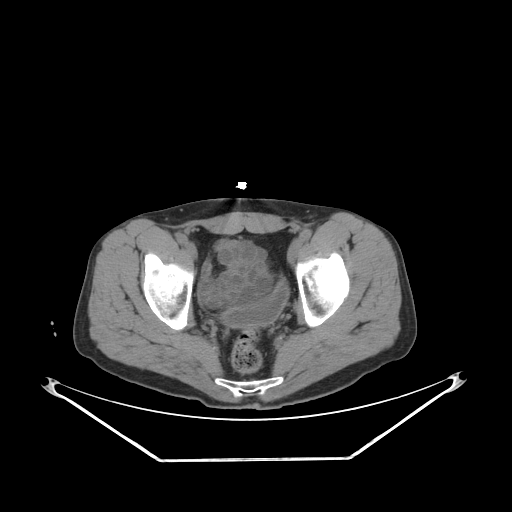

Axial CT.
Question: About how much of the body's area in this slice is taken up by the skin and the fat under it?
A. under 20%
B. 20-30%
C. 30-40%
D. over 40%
Answer: A. under 20%
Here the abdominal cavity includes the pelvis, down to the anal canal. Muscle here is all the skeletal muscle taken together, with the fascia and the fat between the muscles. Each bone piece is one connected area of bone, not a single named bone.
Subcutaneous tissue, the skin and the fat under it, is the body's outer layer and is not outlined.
{"abdominal_cavity":[[[196,227],[217,234],[239,232],[271,234],[286,229],[291,229],[295,233],[287,248],[287,261],[294,272],[298,291],[295,302],[296,324],[292,332],[286,335],[277,346],[268,377],[241,380],[225,377],[218,346],[196,323],[192,292],[198,251],[190,237]]],"bones":[[[334,251],[339,253],[343,259],[344,265],[346,268],[350,282],[349,283],[349,292],[343,302],[331,316],[321,324],[317,326],[309,327],[305,322],[302,303],[299,296],[298,285],[295,275],[295,265],[298,261],[304,261],[312,256],[327,257],[330,253]],[[150,251],[156,254],[164,263],[176,263],[186,269],[193,269],[194,270],[194,280],[192,285],[191,301],[187,314],[187,324],[180,330],[173,329],[160,320],[152,311],[144,296],[142,287],[141,286],[143,281],[144,271],[145,270],[144,256],[147,252]],[[275,376],[282,376],[283,377],[283,381],[280,384],[269,387],[262,395],[258,395],[255,392],[253,392],[252,393],[246,393],[245,395],[239,397],[235,397],[229,389],[216,384],[214,381],[214,379],[217,377],[241,381],[242,380],[263,379]]],"muscle":[{"outer":[[234,211],[294,216],[308,222],[320,221],[342,211],[373,222],[390,242],[398,266],[400,331],[392,346],[287,396],[266,402],[254,396],[239,402],[217,400],[177,379],[106,356],[90,337],[87,312],[95,256],[106,236],[141,217],[162,224],[179,224]],"hole":[[196,227],[291,229],[294,272],[312,256],[335,251],[343,259],[347,296],[313,327],[297,298],[296,324],[268,376],[283,381],[262,395],[235,397],[215,383],[225,377],[219,348],[196,323],[191,301],[187,324],[176,330],[144,296],[147,252],[196,271]]}],"torso":[[[222,197],[263,197],[341,207],[388,229],[401,248],[415,305],[417,335],[409,352],[403,358],[366,374],[340,391],[270,410],[210,408],[196,400],[164,394],[123,380],[80,355],[73,344],[72,325],[88,255],[96,240],[113,226],[134,215],[186,202]]]}